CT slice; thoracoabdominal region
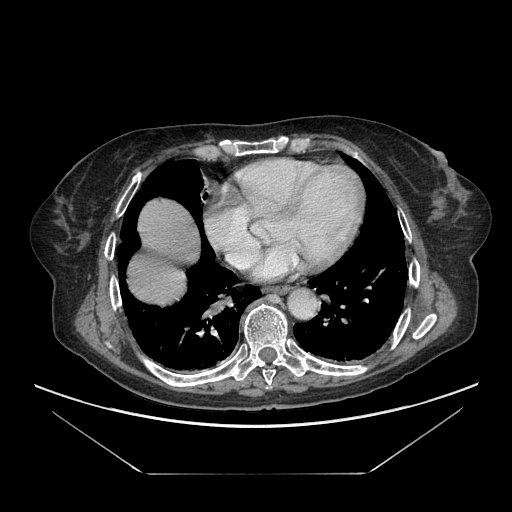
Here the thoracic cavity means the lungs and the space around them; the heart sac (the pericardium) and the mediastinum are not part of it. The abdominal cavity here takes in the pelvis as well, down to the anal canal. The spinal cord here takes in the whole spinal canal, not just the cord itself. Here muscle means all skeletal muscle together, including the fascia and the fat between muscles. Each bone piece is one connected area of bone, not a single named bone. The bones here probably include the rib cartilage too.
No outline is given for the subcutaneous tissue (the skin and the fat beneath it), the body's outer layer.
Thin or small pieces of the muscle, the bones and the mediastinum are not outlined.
{"spinal_cord":[[[266,347],[270,347],[271,348],[273,348],[275,350],[275,351],[276,352],[276,356],[275,357],[275,358],[274,359],[273,359],[269,363],[268,363],[267,362],[266,362],[264,360],[263,360],[259,356],[259,352],[263,348],[265,348]]],"muscle":[{"outer":[[289,133],[327,133],[345,138],[387,173],[412,211],[429,259],[453,291],[458,312],[451,325],[407,360],[371,377],[302,392],[267,391],[257,397],[235,391],[201,394],[171,390],[124,371],[88,345],[74,319],[91,286],[105,220],[129,174],[168,147],[224,137],[240,139],[225,137],[215,144],[195,146],[191,150],[195,157],[167,159],[142,182],[143,172],[137,169],[114,207],[115,218],[121,218],[118,242],[112,229],[103,248],[104,257],[110,262],[115,258],[116,263],[116,273],[109,275],[108,295],[114,312],[122,305],[142,351],[135,354],[145,368],[174,387],[229,377],[239,382],[260,368],[265,383],[271,386],[277,367],[285,367],[296,377],[308,371],[326,376],[361,375],[369,370],[368,364],[340,364],[315,355],[363,360],[375,353],[392,331],[389,349],[398,345],[412,316],[411,306],[404,307],[407,282],[416,289],[421,272],[417,257],[412,255],[408,263],[406,256],[406,242],[410,245],[413,236],[405,211],[399,204],[395,207],[356,150],[337,143],[337,149],[306,151],[311,138],[291,137]],"hole":[[430,313],[435,313],[437,316],[437,318],[434,324],[430,328],[430,329],[423,336],[422,336],[420,338],[418,339],[414,339],[412,338],[412,333],[417,328],[417,327],[420,324],[422,320],[428,314]]},[[152,359],[153,359],[154,360],[155,360],[156,361],[157,361],[158,362],[159,362],[160,363],[161,363],[172,369],[180,369],[181,370],[197,370],[198,369],[204,369],[205,368],[211,368],[207,368],[206,369],[204,369],[203,370],[200,370],[199,371],[196,371],[195,372],[191,372],[190,373],[183,373],[182,372],[176,372],[175,371],[170,370],[169,369],[164,367],[162,365],[161,365],[159,363],[156,362]],[[243,323],[243,325],[242,326],[242,339],[236,351],[233,354],[234,355],[231,356],[226,360],[219,363],[222,360],[228,357],[234,351],[234,350],[238,345],[239,343],[239,341],[240,340],[240,332],[241,331],[241,324],[242,325]]],"pericardium":[[[272,156],[323,156],[334,158],[346,164],[357,174],[365,191],[362,223],[359,227],[359,233],[353,243],[339,259],[323,271],[307,280],[287,285],[255,284],[237,276],[226,267],[215,254],[207,237],[203,222],[204,203],[217,180],[231,168],[243,161]]],"bones":[{"outer":[[261,303],[285,315],[289,335],[305,351],[330,363],[368,365],[364,373],[308,370],[296,376],[277,366],[268,385],[261,368],[255,367],[239,381],[229,376],[174,386],[150,372],[136,354],[140,351],[176,373],[211,369],[235,355],[243,339],[244,316]],"hole":[[266,347],[270,347],[271,348],[273,348],[275,350],[275,351],[276,352],[276,356],[275,357],[275,358],[274,359],[273,359],[269,363],[268,363],[267,362],[266,362],[264,360],[263,360],[259,356],[259,352],[263,348],[265,348]]},[[282,134],[291,138],[310,138],[311,144],[304,152],[290,152],[285,149],[277,153],[253,153],[239,156],[223,153],[214,160],[196,157],[192,153],[192,150],[195,147],[206,144],[215,145],[219,140],[225,138],[232,140],[257,141],[271,137],[277,138]],[[137,170],[140,170],[142,172],[142,179],[141,180],[140,185],[138,189],[135,192],[132,198],[130,200],[123,215],[119,218],[116,218],[116,216],[114,212],[115,207],[118,201],[120,199],[121,196],[123,194],[126,188],[130,183],[132,176],[137,171]],[[408,305],[410,306],[411,308],[411,316],[410,317],[410,320],[409,321],[409,323],[407,326],[407,328],[403,336],[401,338],[401,339],[399,341],[397,345],[392,350],[391,350],[390,349],[390,345],[392,341],[392,336],[393,335],[393,329],[403,309]],[[111,273],[114,273],[116,274],[117,280],[118,281],[118,286],[119,287],[120,297],[121,298],[121,303],[122,304],[120,306],[119,309],[116,311],[114,311],[112,308],[111,300],[110,299],[110,296],[109,295],[109,279],[110,278],[110,275]],[[412,256],[415,256],[416,257],[416,258],[418,260],[418,262],[420,265],[420,272],[419,273],[419,284],[418,285],[418,286],[416,288],[414,288],[411,286],[410,287],[409,286],[408,286],[408,281],[409,280],[409,279],[408,278],[408,264],[409,263]],[[430,313],[435,313],[437,316],[437,318],[434,324],[430,328],[430,329],[423,336],[422,336],[420,338],[418,339],[414,339],[412,338],[412,333],[417,328],[417,327],[420,324],[422,320],[428,314]],[[397,205],[399,205],[402,208],[408,220],[408,223],[411,230],[411,235],[412,236],[412,242],[410,244],[407,243],[404,238],[404,235],[403,234],[403,232],[402,231],[402,229],[399,222],[399,219],[397,215],[397,209],[396,208],[396,206]],[[112,230],[115,231],[115,232],[116,233],[116,247],[115,248],[115,251],[114,252],[114,258],[111,261],[110,261],[109,260],[108,260],[105,257],[105,256],[104,255],[104,248],[105,247],[105,243],[106,242],[106,239],[107,238],[109,233]],[[337,144],[343,144],[346,146],[348,146],[351,149],[356,151],[366,163],[368,168],[366,166],[365,166],[361,162],[360,162],[357,159],[356,159],[355,158],[354,158],[353,157],[352,157],[351,156],[346,154],[341,150],[338,149],[336,147],[336,145]]],"mediastinum":[[[305,281],[307,281],[312,288],[315,287],[317,293],[321,296],[320,309],[318,313],[311,319],[295,323],[290,331],[286,315],[279,308],[271,304],[261,302],[252,307],[243,316],[242,324],[242,318],[246,308],[262,296],[260,288],[255,285],[287,286]],[[321,149],[334,149],[341,151],[340,158],[344,162],[334,157],[323,155],[272,155],[243,160],[231,167],[215,181],[203,204],[201,192],[205,186],[205,182],[200,170],[199,162],[196,159],[214,161],[219,159],[226,159],[254,154],[278,153],[297,154]]],"torso":[[[322,114],[395,126],[441,151],[451,167],[485,194],[492,222],[472,258],[479,297],[475,330],[467,341],[397,383],[364,396],[253,412],[180,408],[144,399],[58,342],[52,329],[53,282],[31,247],[29,226],[39,205],[79,159],[137,128],[250,124]]],"abdominal_cavity":[[[156,197],[174,200],[187,210],[197,229],[200,244],[198,260],[184,272],[187,280],[185,292],[179,300],[171,305],[163,307],[140,301],[130,291],[126,280],[126,272],[130,259],[141,246],[141,240],[137,230],[139,214],[144,205],[149,200]]],"thoracic_cavity":[{"outer":[[179,158],[193,158],[198,162],[204,182],[200,192],[202,222],[215,255],[214,261],[233,272],[240,285],[257,286],[261,293],[243,312],[239,340],[233,351],[217,364],[197,369],[172,368],[142,350],[124,311],[115,257],[122,217],[141,184],[159,164]],"hole":[[156,197],[174,200],[187,210],[197,229],[200,244],[198,260],[184,272],[187,280],[185,292],[179,300],[171,305],[163,307],[140,301],[130,291],[126,280],[126,272],[130,259],[141,246],[141,240],[137,230],[139,214],[144,205],[149,200]]},[[342,152],[369,169],[385,190],[396,209],[407,260],[403,308],[390,335],[375,352],[353,360],[314,354],[301,346],[292,330],[295,324],[311,320],[321,309],[322,296],[308,283],[309,279],[342,257],[359,235],[363,223],[366,191],[358,174],[341,158]]]}